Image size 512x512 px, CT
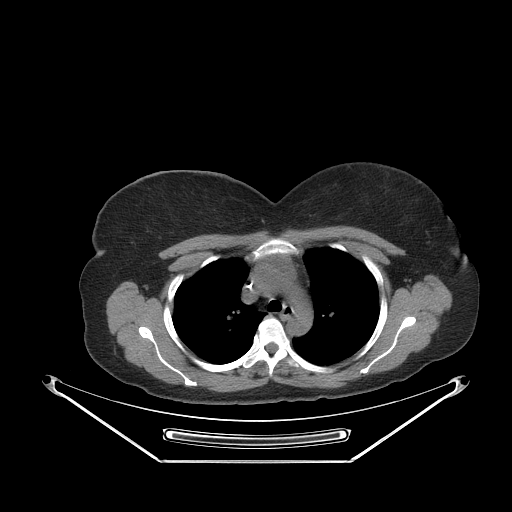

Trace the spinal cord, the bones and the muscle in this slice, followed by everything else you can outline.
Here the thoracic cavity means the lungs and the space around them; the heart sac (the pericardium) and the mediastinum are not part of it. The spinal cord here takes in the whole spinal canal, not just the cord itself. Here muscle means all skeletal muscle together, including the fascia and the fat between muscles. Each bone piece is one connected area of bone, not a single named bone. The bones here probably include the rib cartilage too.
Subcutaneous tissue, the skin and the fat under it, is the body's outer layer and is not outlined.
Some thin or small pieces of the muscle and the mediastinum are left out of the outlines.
Outlined structures:
spinal cord: 271,342 272,342 273,343 274,343 276,345 277,345 277,349 272,354 270,354 265,349 265,346 267,344 268,344 269,343 270,343
bones 1: 265,317 274,317 281,323 292,348 301,357 319,366 334,367 334,371 313,372 290,365 286,358 274,366 271,376 263,360 247,368 239,366 216,372 194,363 189,355 212,364 225,364 239,358 252,345 257,328; inner edge: 271,342 272,342 273,343 274,343 276,345 277,345 277,349 272,354 270,354 265,349 265,346 267,344 268,344 269,343 270,343
bones 2: 275,237 280,237 289,241 296,247 300,249 301,250 301,253 299,254 286,254 285,253 274,253 273,254 266,255 256,260 247,261 244,259 244,256 245,255 248,254 251,251 254,250 265,241 271,238 274,238
bones 3: 179,273 183,273 184,274 184,279 178,286 175,292 172,304 170,303 168,304 170,307 171,317 174,328 187,353 182,351 172,339 166,329 163,320 163,310 164,306 168,302 167,300 167,292 170,282
bones 4: 382,295 384,295 387,301 387,317 386,318 385,323 383,326 383,328 379,336 371,347 362,356 357,359 355,359 355,356 360,349 369,339 375,328 375,326 377,323 378,317 379,316 379,311 380,310 380,298
bones 5: 140,326 145,326 150,329 153,338 157,344 161,356 169,364 178,369 191,380 195,381 197,383 196,386 187,386 185,385 183,378 177,372 166,366 159,359 153,343 148,338 142,337 140,335 138,331 138,329
bones 6: 406,316 414,316 416,320 415,322 412,325 405,327 400,332 395,346 389,353 377,360 370,367 366,373 361,373 359,371 362,368 364,368 373,359 384,352 391,345 393,341 394,336 398,328 400,326 403,319
bones 7: 363,254 366,255 373,262 374,262 377,265 377,266 381,273 381,275 382,276 382,278 383,279 383,287 382,288 382,289 381,289 378,287 378,285 375,280 375,278 362,261 362,260 361,259 361,256
bones 8: 215,254 219,254 221,256 220,257 220,258 219,258 218,259 217,259 214,261 212,261 211,262 208,263 203,267 200,268 200,265 201,264 201,263 205,259 206,259 208,257 209,257 212,255 214,255
bones 9: 331,242 337,242 338,243 340,243 342,245 343,245 348,250 348,251 343,251 342,250 341,250 340,249 338,249 337,248 333,248 332,247 330,247 329,246 328,246 328,244 329,243 330,243
muscle: 327,225 366,229 404,249 406,255 393,256 384,267 393,290 412,285 425,275 433,274 452,293 451,306 429,344 393,369 365,375 336,388 298,387 270,380 249,389 209,393 166,383 128,362 109,332 105,309 110,294 121,282 130,280 147,297 157,297 169,278 167,266 170,262 161,259 158,253 171,245 200,234 242,234 263,229 276,234 286,228, around holes outlined by 275,237 301,250 337,242 358,260 364,254 374,262 383,279 379,297 384,295 387,301 387,317 379,336 359,358 355,359 355,352 330,364 335,368 330,373 292,366 286,358 274,366 271,376 263,360 247,368 203,369 191,360 189,355 197,356 183,342 187,353 181,350 164,324 171,280 179,273 185,280 191,277 212,255 219,254 221,259 243,257 and by 140,326 145,326 150,329 153,338 157,344 161,356 169,364 178,369 191,380 195,381 197,383 196,386 187,386 185,385 183,378 177,372 166,366 159,359 153,343 148,338 142,337 140,335 138,331 138,329 and by 406,316 414,316 416,320 415,322 412,325 405,327 400,332 395,346 389,353 377,360 370,367 366,373 361,373 359,371 362,368 364,368 373,359 384,352 391,345 393,341 394,336 398,328 400,326 403,319
thoracic cavity 1: 324,246 343,252 348,252 361,261 374,278 379,294 378,316 368,339 352,355 329,365 319,365 305,359 293,348 291,344 291,340 293,338 299,338 305,335 311,329 314,321 311,278 303,259 304,252 309,248
thoracic cavity 2: 240,256 243,257 248,270 240,291 240,298 244,303 252,305 258,311 263,312 264,316 256,328 251,345 243,354 225,363 212,363 199,358 181,340 172,317 174,297 179,286 184,280 191,277 208,264 219,259
mediastinum: 303,249 306,249 303,252 302,259 310,278 313,321 310,329 305,334 290,339 284,326 276,317 265,316 263,311 258,310 252,304 244,302 241,298 241,291 249,271 246,261 256,261 274,254 299,255 302,253
torso: 360,160 389,164 420,178 456,224 479,277 476,326 458,351 404,381 373,391 251,405 156,397 118,380 90,357 83,340 78,282 94,254 90,236 96,215 115,191 155,171 194,169 229,174 276,201 322,168